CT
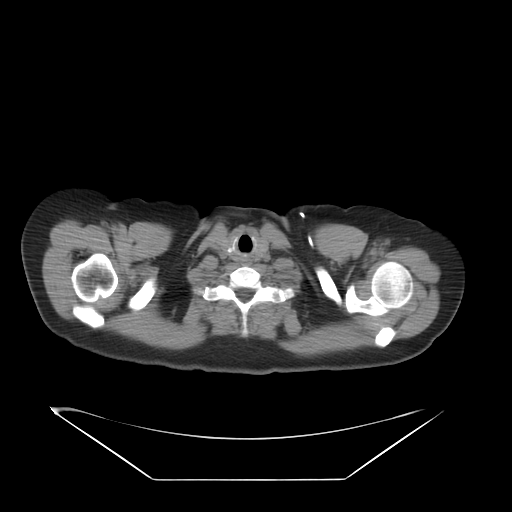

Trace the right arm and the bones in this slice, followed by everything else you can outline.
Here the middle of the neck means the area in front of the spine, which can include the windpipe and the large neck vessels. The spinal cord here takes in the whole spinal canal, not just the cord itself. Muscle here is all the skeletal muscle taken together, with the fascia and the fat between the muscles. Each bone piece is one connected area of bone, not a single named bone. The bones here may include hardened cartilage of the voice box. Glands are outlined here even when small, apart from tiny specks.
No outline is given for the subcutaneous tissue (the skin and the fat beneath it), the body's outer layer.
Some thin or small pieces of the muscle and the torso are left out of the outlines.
right arm: 69,186 81,186 97,189 107,194 113,200 119,201 126,237 126,294 119,309 114,309 102,313 94,319 63,335 50,331 44,324 38,313 29,290 23,269 20,252 20,239 24,224 38,202 49,193 57,189
bones 1: 385,261 395,261 407,268 412,276 413,293 407,303 399,308 390,309 382,315 362,312 349,313 343,303 338,305 325,295 314,269 320,265 327,270 343,299 348,285 352,283 356,295 365,300 371,295 373,273
bones 2: 95,252 101,252 110,259 117,274 118,283 115,290 111,295 106,298 99,298 91,304 104,317 104,325 100,328 94,329 82,323 72,313 72,308 75,304 83,304 84,303 75,293 70,277 73,268
bones 3: 244,265 259,272 264,282 281,288 291,287 295,291 293,297 282,302 266,301 253,305 247,313 246,337 243,337 241,333 241,312 232,300 209,301 193,291 195,287 216,285 221,281 220,276 223,273 229,273 with a hole at 236,288 250,288 251,289 253,289 254,290 254,292 253,293 253,294 252,295 252,296 248,300 247,300 246,301 242,301 236,295 236,293 235,292 235,291 234,290 234,289 235,289
bones 4: 151,277 155,279 155,281 157,285 157,287 156,288 155,293 153,295 151,299 148,302 148,303 143,308 138,310 134,313 127,306 127,302 128,301 128,299 142,285 142,284 147,279
bones 5: 383,326 390,326 391,327 392,327 395,330 396,333 393,337 392,340 386,346 385,346 384,347 378,347 375,345 375,343 374,342 374,340 375,339 375,335 377,333 377,332 379,330 379,329
bones 6: 236,237 237,237 236,238 236,240 235,241 235,243 234,244 234,249 232,251 231,251 230,252 228,252 227,251 227,249 229,247 230,247 231,246 232,246 233,245 233,242 234,241 234,240 235,239 235,238
muscle: 229,214 271,220 300,243 332,222 418,245 441,270 438,313 412,337 392,341 396,330 383,325 377,347 311,358 245,338 253,306 296,291 247,265 272,247 242,230 213,249 244,264 192,289 232,301 242,337 166,350 91,329 105,325 92,304 119,283 101,251 72,268 83,303 71,308 79,321 66,320 41,272 58,219 170,224 172,263 202,223; inner edges: 385,261 395,261 407,268 412,276 413,293 407,303 399,308 390,309 382,315 362,312 349,313 343,303 338,305 325,295 314,269 320,265 327,270 343,299 348,285 352,283 356,295 365,300 371,295 373,273, then 151,277 155,279 155,281 157,285 157,287 156,288 155,293 153,295 151,299 148,302 148,303 143,308 138,310 134,313 127,306 127,302 128,301 128,299 142,285 142,284 147,279
left arm: 383,207 388,208 403,216 417,219 428,225 435,226 441,229 447,233 455,241 460,248 464,258 466,270 466,279 465,280 464,292 460,305 448,327 433,341 427,349 421,353 387,339 356,315 343,302 355,279
middle of the neck: 242,231 249,232 255,236 255,255 257,258 262,257 268,251 269,244 271,251 269,252 268,259 245,264 224,259 218,255 214,248 218,246 228,253 232,252 235,249 238,237 234,238 230,246 231,238 236,233
spinal cord: 236,288 250,288 251,289 253,289 254,290 254,292 253,293 253,294 252,295 252,296 248,300 247,300 246,301 242,301 236,295 236,293 235,292 235,291 234,290 234,289 235,289
thyroid glands 1: 256,236 258,236 259,237 261,237 262,238 263,238 264,239 265,239 267,241 267,242 268,243 268,249 267,250 267,251 265,253 264,253 263,254 263,255 262,256 261,256 260,257 257,257 257,256 256,255
thyroid glands 2: 225,236 228,236 230,238 230,241 229,242 229,245 228,246 228,247 226,249 226,250 225,250 224,249 223,249 221,247 220,247 218,245 218,243 219,242 219,241 223,237 224,237
torso: 130,196 191,202 202,215 219,205 267,208 281,214 290,206 307,202 345,207 381,206 342,302 387,340 420,354 379,367 252,375 143,365 72,345 53,333 63,336 102,314 119,310 127,294 127,237 119,200